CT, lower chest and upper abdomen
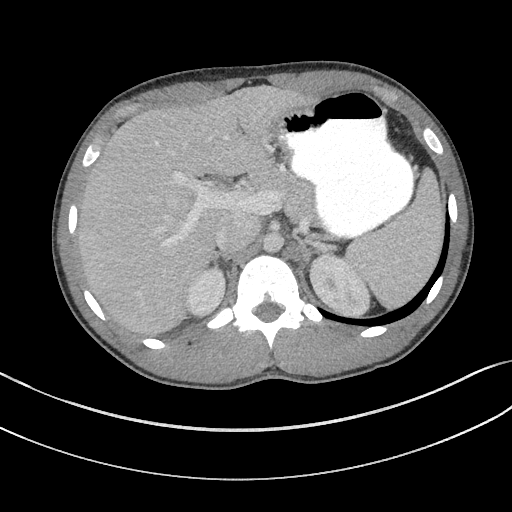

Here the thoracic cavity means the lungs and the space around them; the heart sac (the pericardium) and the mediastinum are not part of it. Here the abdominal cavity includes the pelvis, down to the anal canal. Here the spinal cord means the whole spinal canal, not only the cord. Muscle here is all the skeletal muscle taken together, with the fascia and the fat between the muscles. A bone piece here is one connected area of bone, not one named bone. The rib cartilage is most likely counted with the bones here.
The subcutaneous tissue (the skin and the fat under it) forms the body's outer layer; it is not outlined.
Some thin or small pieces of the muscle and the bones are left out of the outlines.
The spinal cord is outlined by (264, 321) (270, 321) (276, 318) (278, 316) (278, 315) (283, 310) (283, 308) (282, 307) (280, 307) (278, 306) (275, 303) (270, 303) (269, 302) (264, 302) (260, 305) (257, 306) (254, 309) (253, 311) (254, 313) (257, 316) (258, 316) (262, 320). The abdominal cavity is outlined by (143, 337) (211, 319) (226, 304) (241, 266) (262, 253) (282, 258) (308, 300) (340, 317) (380, 317) (414, 297) (441, 255) (447, 197) (445, 170) (414, 119) (361, 89) (313, 94) (255, 80) (205, 101) (142, 107) (117, 123) (84, 181) (76, 238) (84, 277) (106, 316). The thoracic cavity is outlined by (360, 326) (386, 324) (399, 320) (412, 312) (425, 298) (430, 287) (436, 278) (442, 272) (444, 266) (448, 248) (449, 222) (447, 214) (446, 237) (443, 245) (441, 258) (429, 281) (414, 298) (402, 307) (380, 318) (369, 319) (340, 318) (320, 309) (323, 315) (328, 319). The torso is outlined by (212, 392) (231, 391) (268, 379) (318, 386) (385, 369) (413, 351) (458, 297) (474, 243) (474, 210) (463, 164) (438, 118) (414, 93) (388, 75) (337, 60) (173, 72) (114, 96) (76, 142) (58, 182) (51, 220) (53, 266) (68, 308) (98, 345) (132, 371) (165, 387). The muscle is outlined by (206, 384) (207, 383) (211, 383) (212, 384) (229, 383) (237, 379) (241, 379) (253, 376) (256, 374) (259, 374) (266, 369) (272, 369) (273, 370) (279, 369) (290, 374) (308, 375) (314, 377) (323, 377) (328, 375) (341, 373) (344, 371) (355, 369) (359, 367) (372, 364) (378, 361) (384, 360) (403, 349) (416, 334) (439, 312) (447, 301) (452, 293) (453, 289) (455, 288) (455, 285) (457, 282) (468, 235) (468, 212) (465, 200) (464, 189) (455, 159) (447, 141) (439, 128) (418, 104) (399, 89) (368, 74) (350, 70) (338, 70) (337, 69) (307, 70) (300, 72) (281, 72) (280, 73) (273, 73) (268, 75) (254, 75) (247, 77) (219, 78) (217, 80) (209, 80) (208, 81) (177, 82) (170, 85) (153, 88) (141, 92) (128, 99) (122, 100) (116, 103) (99, 119) (85, 138) (74, 159) (65, 183) (63, 195) (61, 199) (61, 205) (59, 211) (59, 218) (57, 227) (57, 243) (58, 244) (59, 255) (61, 260) (62, 268) (72, 298) (82, 316) (89, 325) (104, 340) (138, 366) (161, 377) (165, 377) (169, 379) (173, 379) (179, 381) (188, 381) (189, 382) (205, 383), around a hole outlined by (152, 349) (166, 346) (155, 336) (204, 322) (210, 329) (230, 322) (242, 333) (258, 331) (270, 349) (281, 329) (296, 330) (305, 318) (315, 323) (327, 318) (365, 326) (360, 335) (368, 338) (384, 333) (384, 324) (403, 318) (423, 300) (429, 304) (441, 287) (449, 225) (457, 220) (455, 197) (446, 195) (446, 174) (437, 156) (443, 148) (433, 131) (426, 127) (421, 133) (414, 119) (390, 102) (397, 100) (395, 92) (380, 86) (372, 93) (356, 89) (313, 94) (255, 80) (205, 101) (141, 108) (132, 103) (120, 108) (114, 116) (123, 119) (100, 147) (90, 144) (83, 156) (82, 166) (90, 169) (78, 206) (70, 207) (68, 230) (76, 233) (89, 288) (83, 293) (91, 310) (103, 321) (108, 318) (142, 336) (142, 343). The bones appear in 9 outlined pieces: piece 1: (270, 349) (276, 334) (281, 329) (296, 330) (305, 318) (315, 323) (320, 323) (325, 318) (316, 307) (300, 297) (298, 283) (291, 268) (278, 257) (262, 254) (242, 266) (233, 305) (225, 307) (207, 322) (205, 327) (218, 329) (230, 322) (242, 333) (258, 331) (265, 337); inner edge: (264, 321) (270, 321) (276, 318) (278, 316) (278, 315) (283, 310) (283, 308) (282, 307) (280, 307) (278, 306) (275, 303) (270, 303) (269, 302) (264, 302) (260, 305) (257, 306) (254, 309) (253, 311) (254, 313) (257, 316) (258, 316) (262, 320); piece 2: (438, 155) (441, 155) (442, 154) (443, 154) (443, 148) (442, 147) (438, 138) (433, 132) (433, 131) (430, 128) (429, 128) (428, 127) (426, 127) (425, 128) (424, 128) (424, 129) (422, 131) (422, 135) (424, 138) (425, 143) (427, 145) (427, 146) (431, 150) (432, 150); piece 3: (103, 321) (105, 321) (107, 319) (107, 318) (105, 316) (102, 309) (100, 307) (98, 302) (95, 299) (95, 298) (93, 296) (91, 292) (88, 289) (85, 289) (83, 293) (84, 294) (84, 297) (85, 298) (85, 300) (87, 304) (89, 306) (91, 310) (100, 319) (101, 319); piece 4: (85, 168) (90, 166) (96, 160) (96, 159) (99, 156) (99, 155) (100, 154) (100, 152) (99, 151) (99, 148) (100, 147) (99, 146) (98, 146) (97, 145) (97, 144) (90, 144) (86, 149) (86, 151) (85, 152) (85, 153) (83, 156) (83, 158) (82, 159) (82, 166); piece 5: (451, 225) (452, 224) (454, 224) (457, 220) (457, 206) (456, 205) (456, 202) (455, 201) (455, 197) (454, 196) (454, 195) (452, 193) (449, 193) (448, 194) (448, 197) (447, 198) (447, 213) (448, 214) (448, 216) (449, 217) (449, 221) (450, 222) (450, 224); piece 6: (426, 304) (429, 304) (435, 298) (435, 297) (437, 295) (437, 294) (441, 287) (441, 284) (442, 283) (442, 280) (443, 279) (443, 275) (442, 274) (441, 274) (437, 278) (437, 279) (431, 287) (431, 288) (430, 289) (430, 290) (429, 291) (426, 298) (424, 300) (424, 302); piece 7: (71, 235) (72, 235) (73, 234) (74, 234) (74, 233) (75, 232) (75, 229) (76, 228) (76, 225) (77, 224) (77, 207) (74, 204) (72, 204) (71, 205) (71, 206) (70, 207) (70, 209) (69, 210) (69, 215) (68, 216) (68, 230) (69, 231) (69, 233); piece 8: (391, 101) (396, 101) (398, 98) (395, 92) (387, 88) (385, 88) (384, 87) (381, 87) (380, 86) (377, 86) (373, 88) (373, 92) (374, 93) (375, 93) (377, 95) (381, 97) (383, 97) (385, 98) (387, 100) (390, 100); piece 9: (117, 119) (120, 119) (124, 117) (126, 115) (133, 112) (135, 110) (136, 110) (139, 107) (140, 105) (138, 103) (132, 103) (131, 104) (128, 104) (127, 105) (125, 105) (124, 107) (122, 107) (120, 108) (115, 113) (115, 115) (114, 116) (115, 118).